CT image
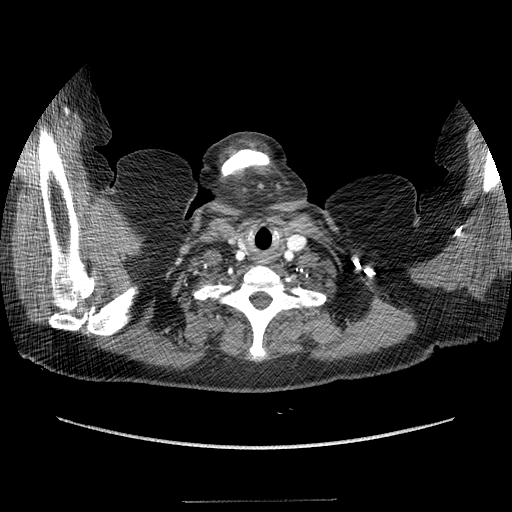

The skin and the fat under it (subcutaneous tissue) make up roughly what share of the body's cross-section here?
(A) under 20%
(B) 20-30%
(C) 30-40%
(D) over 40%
(C) 30-40%
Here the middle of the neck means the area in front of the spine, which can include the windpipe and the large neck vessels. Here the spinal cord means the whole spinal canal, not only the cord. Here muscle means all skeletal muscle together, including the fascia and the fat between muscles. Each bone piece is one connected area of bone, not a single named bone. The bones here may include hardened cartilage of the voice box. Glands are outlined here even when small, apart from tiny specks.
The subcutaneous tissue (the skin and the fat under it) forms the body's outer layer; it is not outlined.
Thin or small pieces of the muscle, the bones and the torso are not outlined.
Outlined structures:
muscle 1: 64,83 81,114 82,157 92,186 119,201 141,224 172,230 203,216 227,194 218,182 220,173 226,177 271,163 267,153 245,147 219,169 220,148 243,136 260,138 270,146 291,188 288,192 303,210 325,222 360,276 419,316 419,333 340,366 291,369 281,363 231,365 219,360 167,371 89,349 57,332 48,337 26,324 13,278 11,173 30,132, around holes outlined by 41,125 52,133 73,191 75,213 81,225 81,258 95,277 94,289 84,303 94,304 97,311 131,286 138,286 130,308 131,320 109,336 58,330 48,324 47,318 60,310 51,302 50,250 39,186 37,145 and by 262,221 284,236 302,234 308,240 289,262 270,268 287,287 320,291 327,299 318,306 275,315 263,334 267,356 252,361 253,333 244,314 216,299 195,299 192,291 203,284 237,284 253,265 236,260 226,240
muscle 2: 473,119 487,144 480,186 481,193 483,196 487,195 501,181 511,223 511,282 494,302 489,305 474,305 464,300 415,287 407,275 413,264 429,259 434,254 444,240 456,216 463,194 468,168 467,133 470,130
right arm: 87,64 89,64 93,88 112,132 106,145 94,148 107,159 112,171 112,185 106,199 104,216 97,239 91,297 82,309 75,312 10,324 0,275 0,236 6,199 11,183 11,173 30,132 47,104 62,85
left arm: 457,100 474,120 484,137 487,148 495,163 499,178 502,182 511,223 511,282 508,286 508,294 481,279 464,273 441,262 428,248 419,231 418,195 427,184 441,184 447,172 443,166 435,162 434,152 441,126
bones 1: 41,125 52,133 73,191 75,213 81,225 81,258 95,277 94,289 84,303 94,304 97,311 131,286 138,286 130,308 131,320 109,336 58,330 48,324 47,318 60,310 51,302 50,250 39,186 37,145
bones 2: 256,265 274,270 287,287 316,290 327,296 321,305 282,310 275,315 263,334 262,346 267,356 261,361 249,358 253,333 242,312 220,304 216,299 209,297 200,300 192,296 192,291 203,284 237,284 243,274 with a hole at 256,292 264,292 266,293 271,298 271,300 269,304 266,307 264,308 262,308 261,309 260,308 257,308 255,307 254,305 251,302 250,300 250,297 254,293
bones 3: 245,148 255,149 258,151 267,154 270,158 270,163 267,165 253,165 252,166 249,166 244,168 240,171 238,171 234,174 229,174 226,176 223,176 221,174 220,171 220,168 222,164 235,151
bones 4: 488,149 495,163 495,166 497,169 497,171 498,172 500,180 490,192 489,192 485,195 483,195 482,193 482,187 481,186 482,185 482,178 483,177 484,167 485,166 485,158 486,157 486,154 487,153 487,150
bones 5: 262,221 263,221 265,223 265,224 263,226 260,225 259,226 259,227 256,230 256,231 254,233 254,236 253,237 253,238 251,240 248,240 245,237 245,233 247,231 247,230 251,226 254,225 257,222 260,223
thyroid glands: 243,233 244,233 244,243 247,246 247,248 248,249 248,250 249,251 249,253 247,255 246,255 243,252 243,251 239,247 239,245 238,244 238,242 234,238 234,237 236,235 238,235 239,234 242,234
torso: 143,148 172,151 190,164 198,192 187,217 212,199 278,205 306,196 322,207 360,176 406,177 433,256 508,295 497,339 435,346 430,358 388,374 267,393 80,380 23,358 10,325 89,303 112,172 121,156
head and neck: 239,131 255,131 263,133 277,141 283,149 288,166 297,174 305,185 306,195 278,204 257,204 240,201 223,201 212,198 213,195 207,188 199,188 197,177 203,167 202,158 206,150 212,144 222,138
spinal cord: 256,292 264,292 266,293 271,298 271,300 269,304 266,307 264,308 262,308 261,309 260,308 257,308 255,307 254,305 251,302 250,300 250,297 254,293
middle of the neck: 266,224 271,225 269,228 275,243 279,240 281,233 284,236 302,234 308,240 307,246 286,263 270,267 262,264 240,263 228,248 226,240 234,236 238,247 247,256 250,251 245,238 251,241 260,226 263,227